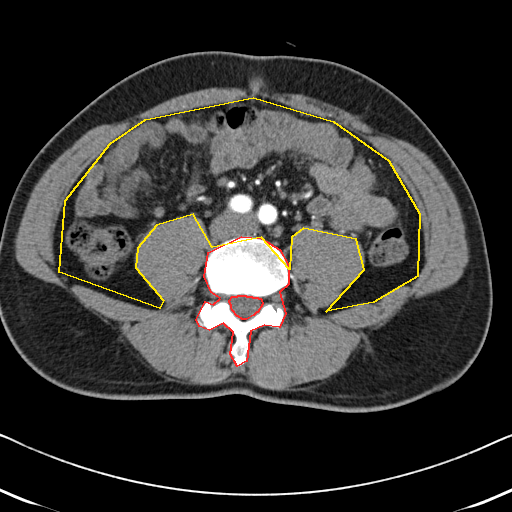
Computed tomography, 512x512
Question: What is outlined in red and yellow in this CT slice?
Answer: red: bones; yellow: abdominal cavity.
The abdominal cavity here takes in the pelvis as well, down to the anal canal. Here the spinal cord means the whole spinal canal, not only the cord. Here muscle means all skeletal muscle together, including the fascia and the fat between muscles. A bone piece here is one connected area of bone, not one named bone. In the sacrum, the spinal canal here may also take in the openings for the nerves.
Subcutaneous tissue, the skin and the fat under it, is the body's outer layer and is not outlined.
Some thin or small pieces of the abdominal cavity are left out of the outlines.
The bones are outlined by 241,236 261,238 279,249 288,265 288,284 279,292 285,313 279,327 264,325 250,331 246,361 237,366 230,354 233,332 223,323 209,330 199,326 196,319 205,301 213,304 220,298 211,292 204,276 208,252, around a hole outlined by 238,295 245,295 246,296 251,296 252,297 257,297 258,298 260,298 261,299 262,304 257,312 256,312 253,315 246,319 242,319 238,316 237,316 232,310 231,308 231,305 229,302 229,300 232,296 237,296. The abdominal cavity is outlined by 253,97 333,121 388,160 419,213 417,276 373,302 326,311 364,269 356,239 303,228 291,237 289,269 261,237 212,247 193,214 156,225 137,248 135,267 163,300 159,308 59,272 65,200 110,143 145,119. The spinal cord is outlined by 238,295 245,295 246,296 251,296 252,297 257,297 258,298 260,298 261,299 262,304 257,312 256,312 253,315 246,319 242,319 238,316 237,316 232,310 231,308 231,305 229,302 229,300 232,296 237,296. The torso is outlined by 211,50 296,55 349,66 403,100 445,148 475,200 493,292 484,343 469,368 451,385 399,407 357,413 270,402 240,393 191,399 105,399 53,384 16,351 0,321 0,236 25,169 62,126 116,82 159,60. The muscle is outlined by 214,87 237,87 245,89 248,92 257,90 262,92 265,91 270,94 298,93 337,106 352,114 359,115 363,121 375,128 391,136 407,141 424,152 444,176 453,191 461,210 469,258 463,274 457,282 445,289 423,297 411,298 385,324 377,328 369,329 362,346 352,354 343,368 330,377 316,381 308,386 293,390 276,390 264,388 240,379 215,384 190,384 168,380 160,373 156,372 143,358 131,349 121,339 119,334 110,327 105,319 85,307 66,289 53,283 45,282 26,272 16,259 15,238 35,184 50,164 77,139 95,126 120,122 173,97; inner edge: 253,97 333,121 381,153 415,201 424,261 417,276 377,300 326,311 362,273 364,251 353,237 319,227 295,232 288,284 279,292 284,318 279,327 247,334 246,361 237,366 230,354 233,332 223,323 209,330 196,321 205,301 220,298 204,276 213,243 199,217 162,222 137,248 135,267 163,300 159,308 70,281 58,270 55,231 79,176 132,125.